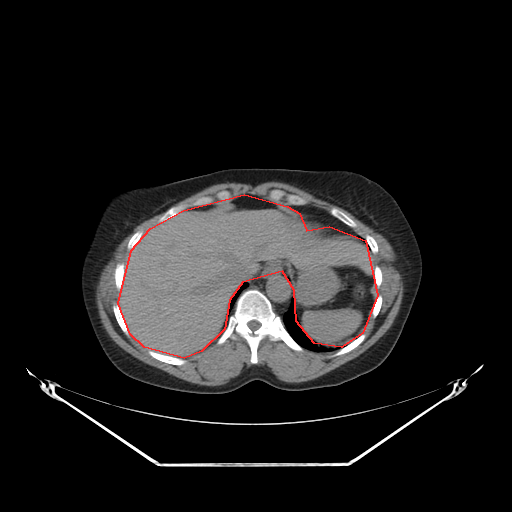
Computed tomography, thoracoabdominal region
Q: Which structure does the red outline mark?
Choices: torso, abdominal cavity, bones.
A: red: abdominal cavity.
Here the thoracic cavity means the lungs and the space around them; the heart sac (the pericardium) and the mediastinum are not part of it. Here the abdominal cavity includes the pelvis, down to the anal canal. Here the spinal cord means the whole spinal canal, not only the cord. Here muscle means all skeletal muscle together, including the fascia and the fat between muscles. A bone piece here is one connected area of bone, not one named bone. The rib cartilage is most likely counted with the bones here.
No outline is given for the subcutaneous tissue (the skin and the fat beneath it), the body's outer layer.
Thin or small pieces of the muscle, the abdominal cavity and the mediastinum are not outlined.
{"abdominal_cavity":[[[244,194],[287,206],[299,213],[306,230],[329,226],[365,240],[377,295],[362,333],[341,347],[314,343],[296,321],[294,290],[282,271],[242,282],[229,300],[224,329],[201,351],[184,358],[144,347],[130,334],[118,303],[131,250],[150,228],[183,210]]],"pericardium":[[[300,214],[301,215],[303,214],[307,216],[312,216],[314,218],[316,218],[318,220],[323,222],[324,224],[326,224],[328,227],[326,227],[323,231],[316,231],[314,229],[306,229],[304,226],[304,224],[302,223],[302,220],[300,219],[302,218],[302,216]]],"muscle":[[[269,181],[293,185],[340,207],[382,235],[393,248],[397,258],[395,265],[404,284],[399,311],[391,326],[376,342],[355,358],[302,382],[282,381],[266,365],[257,365],[260,342],[268,337],[272,342],[282,341],[297,352],[304,349],[325,353],[335,351],[329,358],[346,354],[361,344],[367,337],[362,332],[370,316],[373,319],[377,317],[383,302],[382,295],[376,291],[382,284],[383,272],[374,259],[374,254],[379,251],[375,238],[368,233],[363,237],[360,235],[354,229],[358,224],[338,207],[332,206],[328,212],[308,204],[307,198],[280,188],[271,188],[267,198],[244,193],[232,199],[231,191],[222,189],[213,195],[202,195],[173,205],[214,184],[234,182],[255,186]],[[164,211],[158,222],[145,232],[139,229],[130,236],[126,244],[130,251],[125,263],[120,261],[115,265],[114,284],[119,293],[118,302],[112,305],[115,320],[122,332],[127,337],[131,335],[148,350],[151,357],[175,366],[185,364],[185,358],[214,342],[221,345],[227,339],[235,340],[240,336],[249,347],[252,365],[244,367],[224,384],[192,383],[147,364],[121,348],[102,325],[96,288],[104,267],[117,246],[137,225]]],"spinal_cord":[[[251,320],[255,320],[256,321],[257,321],[258,322],[259,322],[260,323],[260,326],[257,329],[256,329],[255,330],[252,330],[248,326],[248,325],[247,324],[248,323],[248,322],[249,321],[250,321]]],"torso":[[[228,168],[349,170],[377,182],[396,200],[418,242],[422,257],[422,276],[396,344],[375,369],[338,385],[306,390],[283,390],[254,380],[226,393],[197,394],[164,389],[132,379],[108,359],[90,324],[80,286],[84,255],[102,207],[109,198],[122,191]]],"thoracic_cavity":[[[291,304],[293,306],[293,313],[295,317],[295,321],[297,323],[299,329],[303,332],[306,337],[314,344],[316,344],[317,346],[333,349],[339,348],[336,350],[325,352],[324,351],[310,350],[304,348],[300,345],[291,336],[285,327],[282,319]],[[244,282],[246,282],[247,283],[247,286],[237,297],[234,303],[234,306],[233,307],[233,309],[231,310],[230,313],[230,312],[228,311],[228,307],[229,306],[229,304],[230,303],[230,300],[232,297],[232,295],[234,293],[236,289],[242,283]]],"bones":[{"outer":[[249,289],[256,289],[265,295],[290,336],[303,348],[302,351],[292,349],[282,340],[272,341],[265,336],[257,347],[257,363],[253,364],[250,361],[250,347],[240,335],[235,339],[227,338],[223,343],[217,344],[229,316],[234,311],[238,297]],"hole":[[251,320],[255,320],[256,321],[257,321],[258,322],[259,322],[260,323],[260,326],[257,329],[256,329],[255,330],[252,330],[248,326],[248,325],[247,324],[248,323],[248,322],[249,321],[250,321]]},[[222,190],[229,190],[230,191],[231,199],[228,201],[220,201],[216,199],[213,203],[207,205],[199,205],[188,207],[183,209],[169,219],[160,222],[158,221],[159,218],[172,206],[175,206],[183,202],[190,202],[202,196],[207,195],[213,196],[217,192]],[[271,189],[280,189],[281,190],[283,190],[287,193],[291,193],[292,194],[298,195],[307,199],[308,202],[307,204],[305,204],[304,205],[290,205],[289,204],[286,204],[283,200],[280,201],[278,203],[271,201],[268,199],[268,194],[269,193],[269,191]],[[149,350],[151,350],[152,351],[154,351],[164,355],[173,356],[178,358],[183,358],[186,360],[186,362],[181,365],[175,365],[174,364],[166,363],[165,362],[160,361],[151,356],[148,353],[148,351]],[[363,333],[364,333],[366,335],[366,337],[363,340],[363,341],[361,343],[360,343],[355,348],[354,348],[352,350],[346,353],[344,353],[343,354],[341,354],[337,356],[333,356],[332,357],[329,357],[330,355],[331,355],[338,349],[347,345]],[[332,207],[336,207],[337,208],[338,208],[340,210],[343,211],[348,216],[349,216],[357,224],[357,226],[356,227],[353,228],[352,227],[347,225],[345,223],[344,223],[339,219],[338,219],[337,218],[334,217],[332,215],[331,215],[329,213],[329,210]],[[115,303],[118,304],[119,308],[121,311],[121,313],[123,316],[123,318],[125,321],[125,323],[128,328],[128,330],[129,331],[129,335],[128,336],[127,336],[123,332],[123,331],[119,326],[116,320],[116,318],[115,317],[115,315],[113,311],[113,305]],[[120,262],[121,263],[123,263],[124,265],[123,266],[123,278],[122,279],[122,282],[121,283],[121,287],[120,289],[118,290],[115,284],[115,277],[114,276],[114,272],[115,271],[115,268],[116,267],[116,265]],[[139,230],[142,230],[143,231],[143,233],[142,234],[141,237],[139,239],[139,240],[135,244],[135,245],[131,249],[128,249],[127,248],[127,244],[128,243],[128,242],[129,241],[129,240],[130,239],[131,236],[135,232],[136,232]],[[378,295],[381,295],[381,296],[382,297],[382,302],[381,303],[381,307],[380,308],[380,309],[379,310],[379,312],[376,316],[376,317],[373,318],[371,315],[371,312],[372,311],[372,309],[373,308],[373,306],[374,305],[374,302],[376,299],[376,297]],[[367,234],[372,236],[374,238],[374,239],[376,241],[376,242],[377,243],[377,246],[378,247],[378,251],[376,253],[373,253],[372,252],[370,247],[368,245],[366,240],[364,238],[365,235],[366,235]],[[376,265],[377,265],[381,269],[381,271],[382,272],[382,280],[381,281],[381,284],[380,285],[380,286],[379,287],[377,287],[376,286],[376,284],[375,283],[375,267],[376,266]]],"mediastinum":[[[282,272],[285,272],[287,274],[287,276],[291,284],[291,287],[293,290],[293,297],[288,309],[283,314],[282,317],[281,317],[280,315],[277,314],[274,311],[271,301],[266,295],[260,290],[256,288],[249,288],[244,290],[249,285],[263,278]],[[286,205],[290,206],[309,205],[321,209],[327,212],[331,216],[339,220],[347,226],[352,228],[357,233],[355,234],[353,233],[344,233],[341,231],[338,231],[316,217],[314,217],[312,215],[307,215],[303,213],[300,213]]]}